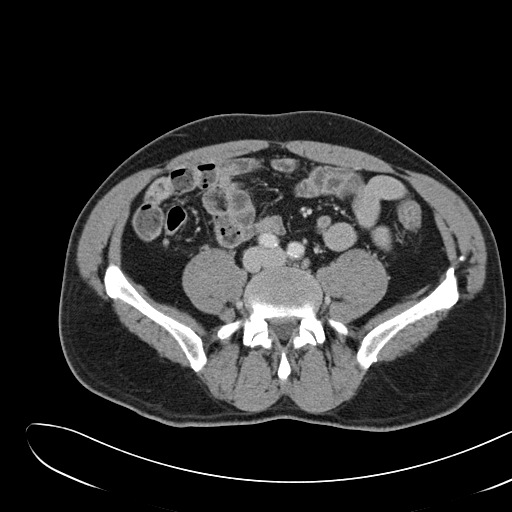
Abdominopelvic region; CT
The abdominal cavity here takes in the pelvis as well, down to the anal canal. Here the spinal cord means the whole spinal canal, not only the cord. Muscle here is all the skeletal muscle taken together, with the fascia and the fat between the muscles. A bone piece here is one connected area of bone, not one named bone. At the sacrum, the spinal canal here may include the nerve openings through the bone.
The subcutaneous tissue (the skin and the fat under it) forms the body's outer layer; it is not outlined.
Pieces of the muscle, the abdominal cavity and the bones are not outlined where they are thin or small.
torso: (309, 109) (357, 118) (398, 139) (450, 177) (485, 216) (501, 261) (506, 324) (499, 355) (479, 389) (442, 417) (402, 429) (366, 431) (289, 418) (243, 425) (175, 427) (144, 417) (83, 386) (62, 351) (58, 308) (70, 232) (97, 187) (137, 149) (192, 120) (220, 113)
muscle 1: (241, 139) (336, 144) (428, 175) (461, 198) (484, 238) (487, 261) (482, 289) (471, 300) (451, 309) (413, 350) (390, 361) (376, 362) (385, 346) (401, 332) (426, 315) (449, 310) (460, 298) (458, 277) (450, 265) (434, 210) (406, 179) (385, 171) (335, 166) (269, 145) (181, 164) (156, 174) (141, 187) (129, 204) (121, 233) (120, 266) (110, 262) (104, 269) (104, 291) (161, 328) (196, 373) (208, 361) (202, 338) (191, 326) (148, 302) (124, 272) (155, 301) (187, 313) (207, 330) (219, 326) (215, 335) (220, 341) (229, 340) (242, 328) (241, 343) (245, 347) (274, 348) (279, 355) (276, 375) (281, 383) (292, 371) (288, 357) (291, 349) (322, 345) (327, 338) (317, 315) (323, 298) (315, 277) (318, 268) (353, 250) (374, 255) (382, 264) (388, 276) (386, 291) (373, 307) (350, 323) (354, 326) (366, 324) (444, 272) (443, 279) (428, 293) (362, 337) (355, 361) (364, 371) (372, 367) (355, 395) (322, 413) (301, 409) (287, 395) (264, 410) (250, 413) (214, 398) (189, 368) (160, 356) (130, 331) (111, 302) (82, 280) (76, 265) (78, 240) (90, 212) (118, 182) (191, 149); inner edge: (329, 318) (332, 318) (335, 320) (338, 320) (339, 321) (340, 321) (341, 322) (342, 322) (347, 327) (347, 329) (348, 330) (348, 334) (345, 336) (344, 336) (343, 335) (340, 335) (339, 334) (338, 334) (329, 325) (329, 324) (327, 321) (327, 320)
muscle 2: (212, 250) (224, 252) (240, 268) (245, 271) (247, 282) (243, 290) (242, 298) (244, 307) (248, 310) (248, 314) (246, 316) (238, 317) (234, 320) (224, 322) (218, 316) (205, 313) (198, 309) (185, 293) (182, 285) (182, 277) (186, 266) (196, 255) (202, 252) (212, 252)
bones 1: (284, 267) (303, 270) (319, 284) (322, 298) (316, 315) (322, 321) (326, 338) (322, 344) (291, 348) (287, 353) (291, 371) (281, 382) (277, 375) (280, 355) (274, 347) (245, 346) (242, 327) (229, 339) (220, 340) (216, 333) (223, 324) (249, 314) (243, 295) (253, 276); inner edge: (275, 318) (277, 319) (291, 319) (292, 320) (293, 319) (296, 319) (298, 322) (298, 325) (293, 331) (293, 332) (291, 334) (289, 338) (286, 341) (281, 341) (279, 340) (279, 338) (273, 331) (273, 330) (269, 325) (269, 320) (271, 320)
bones 2: (449, 266) (454, 267) (454, 273) (457, 277) (459, 291) (457, 302) (449, 309) (426, 314) (420, 321) (401, 331) (384, 346) (378, 355) (377, 361) (372, 363) (366, 370) (362, 369) (356, 361) (356, 353) (363, 337) (379, 323) (405, 310) (426, 296) (444, 279) (445, 271)
bones 3: (110, 263) (120, 267) (128, 281) (148, 303) (163, 313) (191, 327) (201, 338) (203, 349) (207, 357) (207, 361) (201, 370) (196, 372) (190, 367) (179, 346) (173, 340) (169, 339) (161, 327) (131, 306) (119, 299) (113, 299) (108, 296) (105, 291) (103, 276) (106, 267)
bones 4: (329, 318) (332, 318) (335, 320) (338, 320) (339, 321) (340, 321) (341, 322) (342, 322) (347, 327) (347, 329) (348, 330) (348, 334) (345, 336) (344, 336) (343, 335) (340, 335) (339, 334) (338, 334) (329, 325) (329, 324) (327, 321) (327, 320)
abdominal cavity: (269, 146) (403, 178) (432, 208) (449, 265) (362, 325) (351, 323) (384, 297) (389, 276) (374, 254) (361, 249) (321, 265) (314, 276) (284, 266) (248, 281) (224, 251) (196, 254) (181, 285) (198, 310) (225, 323) (208, 329) (155, 300) (121, 267) (132, 200) (172, 168)
spinal cord: (275, 318) (277, 319) (291, 319) (292, 320) (293, 319) (296, 319) (298, 322) (298, 325) (293, 331) (293, 332) (291, 334) (289, 338) (286, 341) (281, 341) (279, 340) (279, 338) (273, 331) (273, 330) (269, 325) (269, 320) (271, 320)